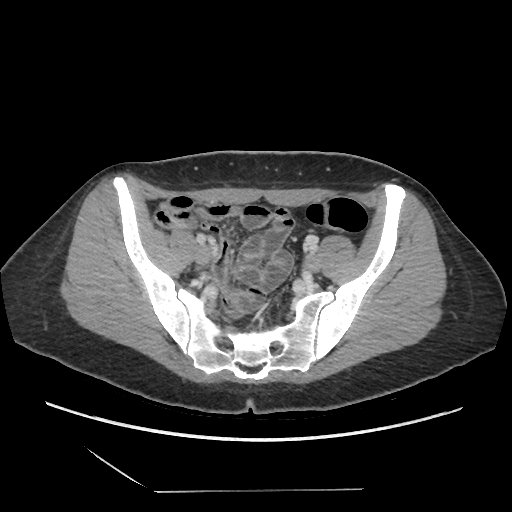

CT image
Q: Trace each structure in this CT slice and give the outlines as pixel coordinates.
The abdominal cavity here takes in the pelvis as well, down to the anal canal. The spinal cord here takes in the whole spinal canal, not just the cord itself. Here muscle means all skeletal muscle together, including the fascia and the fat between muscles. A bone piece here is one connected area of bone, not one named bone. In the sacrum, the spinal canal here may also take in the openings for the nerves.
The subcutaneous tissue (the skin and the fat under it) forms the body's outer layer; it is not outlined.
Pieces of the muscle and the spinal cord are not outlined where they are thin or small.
A: {"torso":[[[216,150],[343,152],[385,163],[419,181],[486,257],[502,283],[507,304],[495,347],[463,365],[413,386],[338,408],[262,414],[256,414],[249,409],[239,414],[224,414],[150,400],[17,344],[6,313],[0,267],[72,193],[100,170],[119,162],[154,161]]],"muscle":[[[118,172],[168,190],[256,187],[365,192],[382,182],[392,182],[383,184],[385,196],[383,221],[369,263],[359,275],[333,290],[316,254],[321,241],[332,235],[360,246],[374,213],[358,199],[340,194],[297,207],[275,205],[263,197],[239,204],[183,194],[148,199],[154,225],[165,232],[190,231],[195,239],[194,258],[179,277],[182,286],[177,287],[142,243],[125,177],[118,174],[111,179],[123,244],[152,309],[192,365],[206,375],[226,370],[238,379],[257,381],[275,370],[306,372],[323,358],[350,327],[367,291],[394,255],[405,189],[427,208],[435,226],[447,273],[442,317],[417,343],[305,384],[250,386],[226,381],[206,385],[183,379],[137,350],[77,324],[58,291],[84,198],[103,177]]],"spinal_cord":[[[219,337],[224,337],[225,338],[228,339],[230,341],[231,341],[233,344],[232,347],[231,347],[228,349],[226,349],[225,348],[221,348],[220,347],[219,347],[217,345],[217,344],[216,343],[216,340],[217,339],[217,338],[218,338]]],"bones":[{"outer":[[118,175],[127,183],[150,260],[177,288],[199,297],[218,325],[241,331],[288,323],[300,298],[334,291],[359,276],[380,239],[384,184],[402,186],[406,196],[393,255],[339,341],[306,371],[275,369],[255,380],[196,368],[159,321],[124,244],[112,183]],"holes":[[[219,337],[224,337],[225,338],[228,339],[230,341],[231,341],[233,344],[232,347],[231,347],[228,349],[226,349],[225,348],[221,348],[220,347],[219,347],[217,345],[217,344],[216,343],[216,340],[217,339],[217,338],[218,338]],[[240,365],[243,365],[244,366],[246,366],[247,367],[255,367],[256,366],[258,366],[259,365],[262,365],[262,366],[257,371],[256,371],[255,372],[248,372],[247,371],[246,371],[245,370],[244,370],[243,369],[242,369],[240,367]],[[275,341],[279,341],[280,342],[280,348],[279,349],[279,351],[278,352],[278,353],[277,353],[276,354],[275,354],[274,353],[273,353],[273,352],[272,351],[272,350],[271,349],[271,346],[272,345],[272,344]]]}],"abdominal_cavity":[[[175,195],[229,205],[263,198],[283,208],[343,195],[358,200],[373,215],[358,247],[337,234],[320,241],[315,261],[331,289],[300,297],[288,322],[241,330],[218,324],[204,301],[180,282],[195,258],[195,236],[187,229],[165,231],[154,224],[147,203]]]}